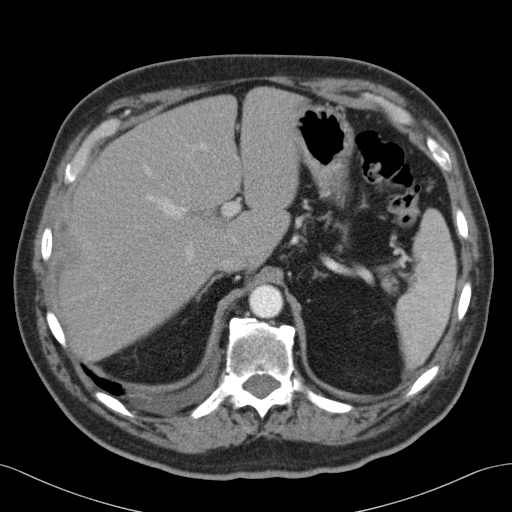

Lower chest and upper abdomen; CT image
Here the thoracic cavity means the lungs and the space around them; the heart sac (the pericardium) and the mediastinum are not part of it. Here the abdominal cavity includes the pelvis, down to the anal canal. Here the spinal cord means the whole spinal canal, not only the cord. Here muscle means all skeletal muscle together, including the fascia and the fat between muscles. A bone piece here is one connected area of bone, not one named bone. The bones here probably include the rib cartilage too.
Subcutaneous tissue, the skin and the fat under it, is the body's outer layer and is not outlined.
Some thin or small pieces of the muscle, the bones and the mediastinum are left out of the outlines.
{"spinal_cord":[[[264,374],[269,375],[274,379],[275,379],[278,382],[278,386],[276,388],[272,390],[264,397],[262,398],[259,398],[255,396],[253,394],[252,394],[249,391],[246,390],[243,386],[244,385],[244,383],[250,377],[251,377],[253,375],[263,375]]],"thoracic_cavity":[[[218,335],[220,335],[220,341],[223,349],[223,364],[215,388],[197,405],[183,411],[167,415],[144,415],[131,411],[119,399],[99,387],[85,373],[81,365],[84,365],[102,378],[128,388],[146,392],[172,391],[187,386],[200,376],[210,355],[214,351]]],"abdominal_cavity":[[[257,80],[383,110],[420,139],[447,176],[464,260],[455,317],[436,360],[389,397],[343,401],[310,382],[295,362],[290,304],[273,281],[258,281],[233,301],[199,376],[172,390],[102,377],[67,343],[50,258],[60,210],[89,158],[106,138],[169,104]]],"mediastinum":[[[265,281],[273,282],[277,284],[283,290],[285,298],[289,304],[293,325],[285,321],[268,322],[258,319],[254,316],[233,316],[228,321],[227,342],[225,346],[225,351],[224,351],[221,341],[221,332],[227,310],[237,298],[251,288],[254,284]]],"muscle":[{"outer":[[278,74],[301,78],[360,78],[381,84],[397,92],[405,98],[417,111],[435,126],[451,144],[456,154],[459,169],[464,183],[466,196],[477,226],[479,252],[481,256],[479,267],[476,319],[473,325],[471,338],[455,370],[449,377],[420,406],[402,421],[374,437],[343,445],[303,444],[296,441],[288,441],[282,439],[267,439],[265,437],[259,437],[245,443],[238,448],[214,453],[184,453],[162,447],[125,431],[90,409],[77,397],[68,391],[63,383],[56,377],[50,369],[42,351],[41,342],[39,339],[36,325],[34,291],[31,269],[34,239],[43,207],[51,183],[55,176],[56,168],[69,144],[102,108],[114,100],[125,96],[197,83],[250,76],[273,76]],"hole":[[257,80],[360,109],[382,110],[359,97],[380,95],[414,117],[414,125],[403,126],[425,145],[429,135],[446,150],[451,170],[442,171],[454,210],[467,222],[468,236],[462,239],[462,284],[469,281],[472,287],[467,310],[461,320],[455,314],[432,364],[439,366],[436,375],[409,397],[408,385],[369,403],[347,401],[353,409],[336,413],[295,392],[290,407],[274,404],[263,418],[250,405],[234,409],[228,397],[198,418],[190,417],[192,407],[167,415],[121,414],[97,399],[95,392],[102,389],[68,344],[57,341],[46,319],[47,310],[56,312],[52,261],[42,258],[41,238],[46,227],[54,233],[74,185],[64,182],[65,167],[105,120],[120,118],[122,130],[185,98]]},[[295,363],[297,368],[299,370],[301,374],[322,394],[323,394],[323,395],[322,394],[320,394],[319,393],[317,393],[315,392],[312,389],[311,389],[303,381],[301,377],[297,373],[296,371],[296,367],[295,366]],[[103,139],[105,139],[102,142],[102,143],[101,143],[98,146],[96,151],[93,154],[93,155],[92,155],[91,156],[91,157],[90,157],[90,155],[91,154],[91,153],[92,152],[94,147],[97,144],[97,143],[98,142],[99,142],[101,140],[102,140]]],"torso":[[[221,53],[344,56],[407,78],[433,99],[453,126],[487,216],[494,255],[488,320],[459,398],[443,419],[411,444],[352,470],[302,478],[208,480],[118,455],[63,413],[38,376],[19,333],[13,299],[16,248],[29,200],[67,113],[94,88],[129,69]]],"bones":[{"outer":[[233,317],[254,317],[268,323],[285,322],[293,326],[296,373],[315,393],[349,403],[353,409],[330,412],[295,392],[290,407],[274,404],[263,418],[250,405],[234,409],[228,397],[215,410],[198,418],[190,417],[191,410],[212,393],[221,379],[228,325]],"hole":[[264,374],[269,375],[274,379],[275,379],[278,382],[278,386],[276,388],[272,390],[264,397],[262,398],[259,398],[255,396],[253,394],[252,394],[249,391],[246,390],[243,386],[244,385],[244,383],[250,377],[251,377],[253,375],[263,375]]},[[114,117],[118,117],[120,118],[121,120],[121,123],[118,129],[115,133],[101,139],[96,143],[93,147],[85,165],[79,172],[75,180],[70,183],[65,183],[64,182],[65,167],[67,163],[68,163],[74,156],[76,151],[81,145],[84,138],[101,122]],[[362,92],[370,92],[376,95],[380,95],[389,101],[394,103],[396,105],[405,108],[414,117],[415,119],[415,124],[414,125],[404,125],[403,124],[394,123],[388,114],[380,106],[374,103],[371,103],[360,99],[359,97],[360,94]],[[428,135],[434,138],[439,143],[439,144],[444,149],[446,150],[446,151],[449,154],[449,156],[451,160],[451,170],[450,171],[446,171],[445,170],[443,170],[436,162],[436,160],[434,157],[433,153],[431,151],[431,150],[428,148],[426,144],[426,136]],[[436,364],[437,364],[439,366],[438,371],[436,375],[429,382],[429,383],[428,383],[421,390],[420,390],[415,394],[409,397],[406,397],[405,396],[405,394],[407,390],[415,381],[415,380],[424,371],[425,371],[428,368],[431,367],[433,365],[435,365]],[[98,390],[102,390],[103,391],[105,391],[110,395],[113,396],[115,398],[119,400],[134,415],[134,416],[133,417],[129,417],[126,415],[121,414],[119,412],[117,412],[109,408],[107,406],[106,406],[102,402],[98,400],[95,396],[95,392]],[[467,281],[469,281],[471,283],[471,286],[472,287],[471,297],[469,301],[469,304],[468,305],[467,310],[464,316],[461,320],[459,320],[457,318],[457,314],[456,313],[456,310],[458,305],[458,300],[459,299],[459,296],[461,292],[461,289],[464,283]],[[47,310],[50,310],[52,312],[53,312],[55,314],[57,318],[57,320],[59,322],[59,324],[63,331],[63,333],[65,337],[65,340],[66,341],[66,346],[65,347],[63,347],[57,341],[57,340],[54,337],[48,325],[48,323],[46,319],[46,311]],[[46,227],[50,227],[52,230],[52,245],[51,246],[51,254],[50,255],[50,257],[48,259],[48,260],[45,261],[44,260],[43,260],[43,259],[42,258],[42,256],[41,255],[41,238],[42,237],[42,234],[43,233],[43,231],[44,230],[44,229]],[[457,208],[459,208],[462,211],[462,212],[463,213],[463,214],[466,219],[466,221],[467,222],[467,231],[468,232],[468,236],[467,237],[467,238],[463,238],[461,236],[459,236],[458,235],[458,233],[457,232],[457,228],[456,227],[456,212],[455,211]]]}